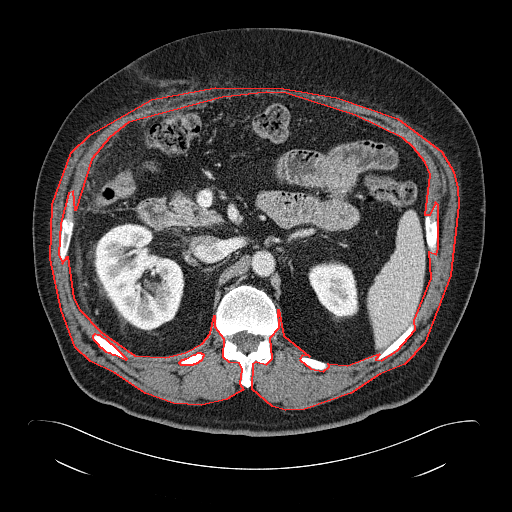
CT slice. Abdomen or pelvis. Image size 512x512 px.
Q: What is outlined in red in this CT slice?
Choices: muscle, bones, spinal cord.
A: red: muscle.
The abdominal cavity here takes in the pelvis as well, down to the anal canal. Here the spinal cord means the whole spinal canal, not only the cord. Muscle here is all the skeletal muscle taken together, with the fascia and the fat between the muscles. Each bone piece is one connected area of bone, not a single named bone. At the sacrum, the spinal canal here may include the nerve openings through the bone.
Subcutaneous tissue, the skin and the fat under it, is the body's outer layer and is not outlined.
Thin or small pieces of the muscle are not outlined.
{"muscle":[{"outer":[[215,87],[283,88],[336,97],[397,118],[441,151],[453,171],[457,188],[458,204],[450,275],[424,343],[404,364],[379,374],[350,393],[304,409],[285,410],[272,406],[252,389],[253,363],[256,361],[266,364],[272,358],[270,337],[279,327],[278,309],[283,335],[309,356],[302,355],[299,359],[310,368],[323,371],[329,366],[328,363],[347,365],[376,354],[379,354],[375,359],[381,360],[397,350],[415,329],[414,320],[431,278],[429,251],[436,254],[438,248],[438,205],[435,202],[429,215],[425,215],[430,174],[425,162],[413,147],[403,138],[355,115],[286,93],[266,92],[222,97],[128,122],[109,137],[91,159],[75,210],[73,191],[68,193],[60,223],[58,254],[62,263],[67,256],[73,298],[79,309],[100,331],[134,355],[165,357],[185,352],[202,343],[210,333],[214,315],[214,326],[223,338],[222,356],[228,361],[238,362],[241,369],[239,383],[243,389],[226,399],[201,405],[173,403],[145,393],[115,373],[90,361],[75,347],[61,310],[50,258],[52,204],[71,152],[90,134],[151,99]],"holes":[[[95,333],[97,334],[99,334],[101,336],[105,338],[110,343],[111,343],[126,358],[126,359],[125,360],[115,355],[113,355],[110,353],[108,353],[106,352],[102,348],[101,348],[99,346],[99,345],[94,340],[93,338],[93,335]],[[198,352],[200,352],[201,353],[202,353],[203,354],[203,356],[202,357],[201,360],[200,361],[199,361],[197,363],[196,363],[195,364],[193,364],[192,365],[181,365],[179,363],[179,362],[182,359],[184,359],[185,358],[186,358],[193,354],[195,354]]]}],"spinal_cord":[[[241,331],[246,331],[250,334],[252,334],[253,335],[259,335],[261,337],[261,339],[259,341],[256,348],[254,350],[251,350],[246,353],[238,349],[238,347],[237,345],[233,342],[231,338],[232,336],[234,334],[238,332],[240,332]]],"torso":[[[236,27],[308,29],[381,49],[441,88],[468,119],[480,148],[484,245],[462,318],[423,392],[353,423],[292,435],[248,436],[179,429],[132,416],[94,400],[74,382],[39,298],[32,245],[34,192],[45,154],[66,115],[91,88],[140,55],[184,36]]],"bones":[{"outer":[[242,284],[263,290],[273,301],[278,319],[277,330],[269,337],[271,358],[266,363],[256,360],[252,363],[250,377],[253,384],[248,387],[240,383],[242,369],[239,362],[233,359],[228,360],[223,356],[224,338],[215,326],[215,312],[223,295],[231,288]],"hole":[[241,331],[246,331],[250,334],[252,334],[253,335],[259,335],[261,337],[261,339],[259,341],[256,348],[254,350],[251,350],[246,353],[238,349],[238,347],[237,345],[233,342],[231,338],[232,336],[234,334],[238,332],[240,332]]},[[71,191],[72,191],[71,197],[74,203],[74,207],[73,208],[73,221],[74,224],[66,259],[64,262],[62,262],[60,259],[60,255],[59,254],[60,237],[61,236],[61,229],[62,228],[61,223],[65,216],[66,201],[68,198],[69,193]],[[435,203],[436,203],[437,205],[436,207],[436,220],[437,221],[437,230],[438,231],[437,234],[437,242],[436,243],[437,248],[436,249],[436,253],[431,253],[428,248],[426,242],[425,218],[426,216],[429,216],[430,215],[432,211],[432,207]],[[412,323],[415,323],[415,326],[414,327],[414,329],[413,331],[411,333],[409,337],[397,349],[396,349],[391,353],[388,354],[386,356],[383,357],[381,359],[376,359],[376,358],[386,348],[387,348],[391,344],[392,344],[408,328],[408,327]],[[95,333],[97,334],[99,334],[101,336],[105,338],[110,343],[111,343],[126,358],[126,359],[125,360],[115,355],[113,355],[110,353],[108,353],[106,352],[102,348],[101,348],[99,346],[99,345],[94,340],[93,338],[93,335]],[[302,356],[304,357],[310,357],[311,358],[314,358],[315,359],[317,359],[318,360],[320,360],[321,361],[326,362],[328,364],[328,366],[325,369],[323,370],[320,370],[319,369],[316,369],[315,368],[310,367],[306,365],[301,361],[300,358]],[[198,352],[200,352],[201,353],[202,353],[203,354],[203,356],[202,357],[201,360],[200,361],[199,361],[197,363],[196,363],[195,364],[193,364],[192,365],[181,365],[179,363],[179,362],[182,359],[184,359],[185,358],[186,358],[193,354],[195,354]]],"abdominal_cavity":[[[266,93],[291,95],[362,119],[403,139],[424,162],[429,174],[424,230],[430,278],[413,322],[380,353],[330,363],[288,339],[272,298],[242,283],[222,295],[209,333],[198,345],[165,356],[122,348],[80,309],[70,283],[74,212],[92,159],[132,121]]]}